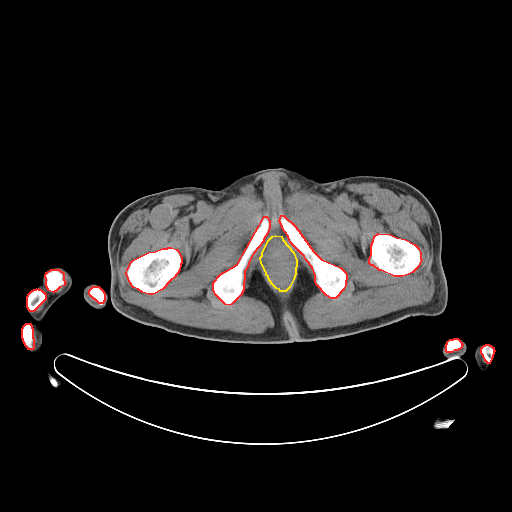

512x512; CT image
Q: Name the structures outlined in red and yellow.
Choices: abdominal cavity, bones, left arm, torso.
A: red: bones; yellow: abdominal cavity.
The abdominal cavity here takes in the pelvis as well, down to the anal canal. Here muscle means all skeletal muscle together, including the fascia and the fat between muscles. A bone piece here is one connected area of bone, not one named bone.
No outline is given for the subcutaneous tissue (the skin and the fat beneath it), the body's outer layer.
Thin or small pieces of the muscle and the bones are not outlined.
The bones appear in 10 outlined pieces: piece 1: 168,247 171,247 176,249 178,251 181,258 181,263 180,264 179,270 174,277 170,280 162,289 153,294 148,294 142,292 138,289 133,287 130,283 126,273 127,269 132,260 148,252 155,251 162,248 167,248; piece 2: 378,233 390,234 396,237 405,239 414,244 418,248 420,252 420,258 421,259 418,266 412,272 408,274 402,276 394,276 381,270 379,270 373,265 371,265 369,263 369,259 371,254 371,244 373,241 374,236; piece 3: 281,215 283,215 295,226 313,251 321,259 340,267 345,272 346,274 345,285 343,289 335,298 331,298 326,295 316,284 315,282 315,275 312,267 306,260 304,256 290,242 288,236 282,228 282,226 279,221; piece 4: 264,216 266,216 269,220 269,227 267,233 263,239 263,241 253,253 248,262 247,267 244,271 243,290 240,295 231,304 229,305 225,304 215,294 213,289 213,282 220,274 237,264; piece 5: 51,269 58,269 60,271 61,271 63,273 63,279 64,280 64,282 65,283 64,284 64,285 59,287 55,291 54,291 53,292 48,290 48,289 46,286 46,278 45,277 45,274 46,273 46,272 47,272; piece 6: 37,288 38,289 40,289 43,292 44,292 44,293 45,294 45,299 35,309 35,310 34,310 33,311 30,311 28,309 28,308 27,307 27,296 28,295 28,294 32,290 33,290 34,289 36,289; piece 7: 26,323 30,323 30,324 31,325 31,327 32,328 32,337 33,338 33,348 32,349 28,349 28,348 25,345 25,344 24,343 24,342 23,341 23,339 22,338 22,328 23,327 23,326; piece 8: 93,286 98,286 103,291 103,292 104,293 104,300 103,301 103,302 102,303 99,303 95,299 94,299 89,294 89,290; piece 9: 454,338 457,338 461,342 461,343 462,344 462,345 461,346 461,347 459,349 458,349 457,350 454,350 451,352 447,352 445,349 446,348 446,344 447,343 447,341 450,339 453,339; piece 10: 486,344 488,344 489,345 490,345 492,347 493,347 493,349 494,350 494,351 493,352 493,354 492,355 492,357 491,358 489,363 488,363 485,360 483,355 481,353 481,348 484,345 485,345. The abdominal cavity is outlined by 275,235 281,236 282,239 293,252 296,260 295,273 293,279 289,287 285,291 280,291 279,289 276,288 272,284 268,278 268,276 266,275 266,272 261,263 260,257 262,255 262,252 269,239 272,236. The right arm appears in 3 outlined pieces: piece 1: 59,266 66,269 70,273 72,278 72,284 68,291 57,299 49,308 39,323 39,326 42,333 42,344 37,351 32,352 25,345 22,338 23,326 32,320 27,310 27,296 41,281 45,272 48,269; piece 2: 90,283 94,283 96,284 100,288 101,287 103,289 103,290 107,294 108,294 108,297 106,300 106,303 105,304 105,306 102,309 94,309 92,307 91,307 84,299 84,297 83,296 83,290 85,286; piece 3: 49,374 50,375 51,375 56,380 57,380 57,381 58,382 58,385 57,386 56,386 55,387 52,387 51,386 51,385 49,383 49,380 48,379 48,375. The torso is outlined by 279,167 320,182 371,175 399,179 417,188 432,204 441,225 441,262 448,289 444,311 436,316 410,316 333,339 275,344 184,336 118,312 109,297 107,243 120,210 142,196 166,189 192,186 217,190 242,175. The muscle appears in 2 outlined pieces: piece 1: 370,181 397,186 429,214 435,289 427,303 347,325 309,328 302,316 304,302 319,289 335,299 346,285 347,274 321,258 283,214 278,219 281,228 311,267 314,281 300,267 289,297 281,299 255,269 243,293 271,311 274,326 262,333 175,323 120,295 119,231 133,211 152,199 194,194 221,203 255,194 269,204 282,202 298,190 328,196 348,184, around holes outlined by 168,247 171,247 176,249 178,251 181,258 181,263 180,264 179,270 174,277 170,280 162,289 153,294 148,294 142,292 138,289 133,287 130,283 126,273 127,269 132,260 148,252 155,251 162,248 167,248 and by 378,233 390,234 396,237 405,239 414,244 418,248 420,252 420,258 421,259 418,266 412,272 408,274 402,276 394,276 381,270 379,270 373,265 371,265 369,263 369,259 371,254 371,244 373,241 374,236 and by 264,216 266,216 269,220 269,227 267,233 263,239 263,241 253,253 248,262 247,267 244,271 243,290 240,295 231,304 229,305 225,304 215,294 213,289 213,282 220,274 237,264 and by 275,235 281,236 282,239 293,252 296,260 295,273 293,279 289,287 285,291 280,291 279,289 276,288 272,284 268,278 268,276 266,275 266,272 261,263 260,257 262,255 262,252 269,239 272,236; piece 2: 45,300 45,302 44,303 44,304 43,305 43,306 42,307 42,308 41,309 41,310 39,312 36,312 35,313 34,312 34,311 35,311 36,310 36,309. The left arm appears in 3 outlined pieces: piece 1: 484,342 490,342 493,345 493,349 494,351 493,352 492,357 486,369 483,372 481,372 479,370 477,366 477,364 475,361 475,358 474,357 474,353 475,352 475,349 476,347 479,344 481,344; piece 2: 459,337 461,337 465,341 466,343 466,350 465,352 462,355 460,355 459,356 454,356 453,355 451,355 447,357 444,356 443,354 443,352 442,351 443,350 443,345 448,340 450,339 453,339 454,338 458,338; piece 3: 445,420 454,420 454,421 450,425 450,426 449,427 448,427 445,430 437,430 436,429 435,429 434,428 434,426 438,422 439,422 440,421 444,421.